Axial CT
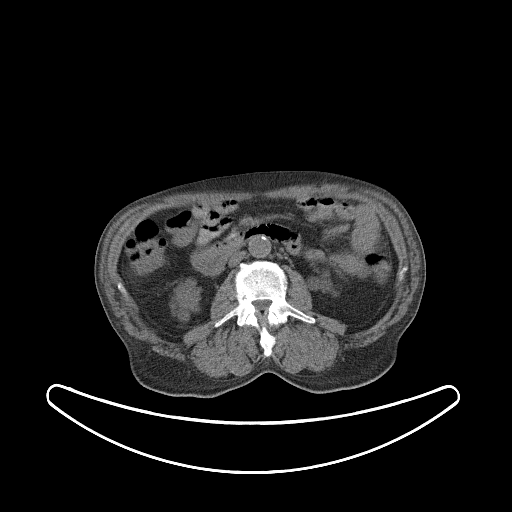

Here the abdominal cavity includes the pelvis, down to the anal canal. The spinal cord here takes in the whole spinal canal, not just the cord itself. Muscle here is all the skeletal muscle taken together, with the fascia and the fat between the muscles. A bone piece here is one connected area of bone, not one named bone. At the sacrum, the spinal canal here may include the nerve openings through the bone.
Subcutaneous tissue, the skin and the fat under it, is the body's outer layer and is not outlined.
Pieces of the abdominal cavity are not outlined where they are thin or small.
spinal cord: 256,300 269,300 270,301 270,304 268,306 268,307 267,308 267,309 266,310 265,310 264,311 259,311 255,307 255,306 253,304 253,301 255,301
torso: 285,169 331,171 373,182 395,195 410,215 423,245 426,279 394,364 370,383 328,393 301,389 269,372 215,397 170,396 143,387 130,371 125,347 105,315 94,283 94,256 105,225 127,203 173,185
abdominal cavity: 308,194 365,202 383,222 398,271 393,301 373,324 346,332 345,323 312,309 298,271 266,259 242,261 234,275 229,273 211,301 209,320 186,331 181,341 162,337 140,318 117,271 122,245 139,218 194,202
bones 1: 256,260 277,263 287,276 286,300 315,318 314,323 308,323 289,316 285,323 268,325 267,329 274,336 275,343 267,357 263,355 259,344 260,334 254,326 239,326 236,316 214,326 238,304 234,276 239,265, around a hole outlined by 256,300 269,300 270,301 270,304 268,306 268,307 267,308 267,309 266,310 265,310 264,311 259,311 255,307 255,306 253,304 253,301 255,301
bones 2: 403,266 407,266 407,270 404,273 404,275 403,276 403,278 400,281 398,281 397,280 397,278 398,277 398,272 401,269 401,268
bones 3: 118,282 120,282 122,284 122,285 124,287 124,288 125,289 125,290 127,292 127,295 128,296 128,297 127,298 126,298 125,297 124,297 124,296 121,293 121,292 117,288 117,284 118,283
muscle: 326,183 328,184 341,184 347,186 350,191 356,191 359,189 373,190 392,200 406,219 406,221 411,231 413,239 416,244 420,260 420,265 418,270 418,274 419,275 418,285 413,294 412,300 409,304 405,314 397,322 390,326 386,330 386,333 378,339 363,347 351,348 347,350 343,350 341,354 337,356 332,367 320,373 316,373 308,370 303,370 296,374 292,374 280,368 271,360 270,361 263,361 259,363 250,372 245,375 242,376 229,375 225,378 216,379 208,377 197,370 190,363 188,365 186,363 178,361 176,359 160,355 156,352 150,350 150,346 147,343 130,335 124,329 123,326 119,323 120,320 115,316 104,292 104,288 100,279 100,262 101,261 101,254 103,249 103,244 109,229 117,219 126,211 141,204 160,202 164,197 178,193 186,193 187,192 194,193 195,192 208,192 209,191 263,192 293,185 314,184 319,186; inner edge: 308,194 373,206 398,270 407,266 389,309 365,329 348,333 314,311 288,266 285,298 315,322 268,325 267,357 254,326 236,316 214,326 238,304 232,271 209,320 181,341 149,327 117,288 122,245 141,217